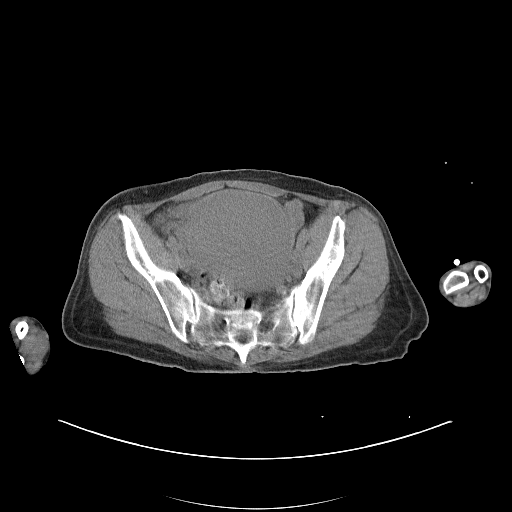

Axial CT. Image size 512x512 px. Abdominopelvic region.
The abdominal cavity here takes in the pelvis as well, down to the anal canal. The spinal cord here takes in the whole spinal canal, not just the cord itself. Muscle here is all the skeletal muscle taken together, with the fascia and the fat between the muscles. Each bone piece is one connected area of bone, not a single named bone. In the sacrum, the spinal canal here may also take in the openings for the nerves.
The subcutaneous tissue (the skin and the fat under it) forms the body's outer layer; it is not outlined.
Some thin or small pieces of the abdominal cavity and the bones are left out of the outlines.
Outlined structures:
bones 1: 117,212 131,219 150,258 175,272 206,303 220,309 262,311 302,280 321,252 333,217 339,215 345,222 344,255 328,287 313,339 306,344 295,340 286,348 257,345 244,364 226,345 181,341 150,284 127,257 with a hole at 239,336 245,336 246,337 248,337 249,338 249,339 247,341 246,341 245,342 241,342 240,341 239,341 238,340 237,340 237,339 236,338 236,337 238,337
bones 2: 453,270 460,270 461,271 463,271 465,272 468,276 468,279 469,280 469,282 466,286 460,289 458,289 455,291 452,291 448,294 446,294 443,290 443,288 442,287 442,284 446,276 451,271
bones 3: 478,264 480,264 481,265 483,265 487,269 487,271 488,272 488,277 487,278 487,279 484,282 483,282 482,283 481,283 478,281 478,280 475,277 475,276 474,275 474,273 473,272 473,270 474,269 475,266
bones 4: 21,320 25,320 28,325 28,329 27,330 27,332 26,333 26,334 24,336 24,337 22,339 20,339 19,338 19,337 18,336 18,335 15,330 15,329 16,328 16,324 19,321 20,321
right arm: 22,314 30,315 37,318 42,323 49,336 50,355 46,364 34,375 29,375 26,371 24,365 21,362 21,360 18,356 19,354 17,352 17,349 15,347 14,341 9,332 9,323 10,321 14,317
abdominal cavity: 225,186 261,192 273,197 298,197 321,207 309,226 296,236 295,260 304,274 303,277 287,295 267,309 252,306 220,308 206,302 177,274 182,255 181,243 171,234 164,241 145,219 149,213 166,202 192,200
muscle 1: 221,179 256,181 325,199 353,201 365,206 375,215 385,240 389,261 389,281 381,314 377,319 375,327 367,335 355,343 337,347 299,360 287,362 264,361 255,363 245,368 239,367 233,363 210,363 193,359 159,344 147,343 118,335 111,329 103,319 101,304 92,293 88,275 89,250 96,233 96,228 100,222 110,210 118,206 157,201 191,187 with a hole at 225,186 321,207 296,236 304,274 333,217 345,222 344,255 313,339 286,348 257,345 244,364 226,345 187,344 172,332 127,257 116,215 129,217 150,258 176,273 181,243 171,234 164,241 145,217 166,202
muscle 2: 20,319 28,319 31,320 33,324 41,330 46,342 46,352 42,358 41,364 30,373 28,373 26,371 25,368 26,366 25,359 17,352 17,349 15,347 14,341 9,332 9,327 12,324 14,324 17,320, around a hole outlined by 21,320 25,320 28,325 28,329 27,330 27,332 26,333 26,334 24,336 24,337 22,339 20,339 19,338 19,337 18,336 18,335 15,330 15,329 16,328 16,324 19,321 20,321
muscle 3: 472,263 477,264 474,266 472,270 474,277 481,284 485,282 485,294 480,299 477,299 473,302 461,305 454,302 448,295 452,292 455,292 466,287 469,284 470,280 468,274 465,271 460,269 462,267 467,266
spinal cord: 239,336 245,336 246,337 248,337 249,338 249,339 247,341 246,341 245,342 241,342 240,341 239,341 238,340 237,340 237,339 236,338 236,337 238,337
torso: 238,168 268,169 314,178 353,191 378,209 424,300 429,316 426,329 420,338 410,342 402,358 314,371 200,373 83,347 65,337 61,327 61,313 76,273 82,243 93,215 109,197 138,184 164,181 198,172
left arm: 471,259 482,260 486,262 490,266 492,271 492,282 491,283 491,288 489,295 485,301 474,306 471,306 470,307 459,307 458,306 455,306 440,294 438,289 438,280 440,276 445,271 454,267 458,264 461,264